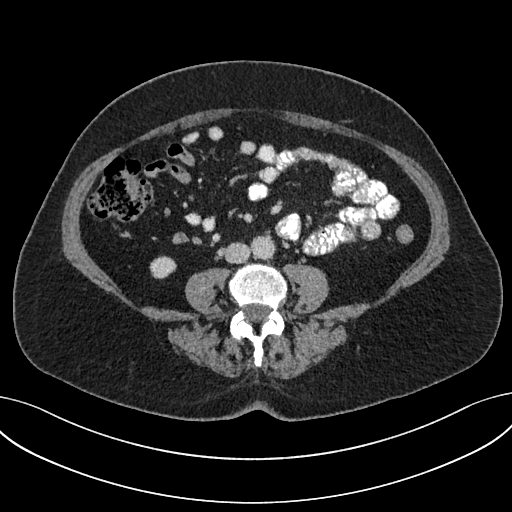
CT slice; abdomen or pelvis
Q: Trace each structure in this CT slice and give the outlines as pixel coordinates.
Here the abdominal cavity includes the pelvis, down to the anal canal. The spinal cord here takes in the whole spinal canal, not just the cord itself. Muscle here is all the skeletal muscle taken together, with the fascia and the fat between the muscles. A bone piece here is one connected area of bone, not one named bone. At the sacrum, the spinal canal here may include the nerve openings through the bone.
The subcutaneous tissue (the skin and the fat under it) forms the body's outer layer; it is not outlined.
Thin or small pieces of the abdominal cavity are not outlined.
A: {"abdominal_cavity":[[[236,112],[367,142],[417,187],[429,211],[429,237],[381,295],[317,311],[330,289],[323,270],[287,263],[284,276],[273,265],[250,262],[232,274],[226,267],[192,273],[184,295],[195,311],[182,311],[135,302],[90,256],[81,209],[112,160],[156,136]],[[288,283],[288,285],[289,286],[289,292],[290,293],[290,295],[292,299],[292,306],[290,310],[288,311],[283,311],[279,309],[280,308],[280,306],[282,302],[284,302],[287,299],[288,297],[288,291],[289,290],[289,287],[288,286]]],"torso":[[[225,60],[288,62],[347,76],[392,98],[427,132],[501,271],[499,327],[477,363],[411,394],[332,416],[285,421],[256,409],[231,419],[193,421],[110,402],[46,374],[28,361],[13,327],[15,269],[34,217],[71,146],[92,118],[127,90],[172,70]]],"bones":[{"outer":[[250,263],[275,267],[285,278],[288,287],[287,297],[278,309],[284,320],[284,329],[279,336],[268,334],[264,338],[264,353],[259,367],[254,364],[252,342],[246,337],[239,340],[234,338],[229,330],[231,317],[238,307],[229,293],[228,281],[238,268]],"hole":[[249,304],[259,304],[260,305],[267,306],[269,307],[271,309],[271,310],[266,316],[266,319],[264,321],[262,322],[257,322],[256,323],[252,323],[251,322],[249,322],[247,321],[245,319],[245,313],[243,310],[243,307],[245,305],[248,305]]}],"spinal_cord":[[[249,304],[259,304],[260,305],[267,306],[269,307],[271,309],[271,310],[266,316],[266,319],[264,321],[262,322],[257,322],[256,323],[252,323],[251,322],[249,322],[247,321],[245,319],[245,313],[243,310],[243,307],[245,305],[248,305]]],"muscle":[{"outer":[[229,107],[231,108],[258,107],[266,109],[281,109],[282,110],[288,110],[289,111],[295,111],[296,112],[310,114],[316,117],[319,117],[326,120],[329,120],[332,122],[344,125],[364,134],[366,134],[388,145],[390,145],[410,156],[423,167],[438,186],[447,209],[448,221],[450,227],[450,246],[443,261],[417,282],[393,296],[387,301],[361,315],[353,323],[348,336],[343,343],[339,346],[335,353],[314,368],[306,372],[304,372],[296,377],[292,378],[277,378],[276,377],[272,377],[255,370],[243,377],[230,378],[221,375],[211,374],[205,372],[189,364],[184,360],[176,357],[169,352],[163,345],[155,327],[155,325],[149,316],[130,308],[120,302],[111,294],[107,293],[103,289],[100,288],[86,277],[79,270],[74,267],[64,256],[62,251],[61,220],[62,219],[62,214],[63,213],[63,208],[65,204],[65,201],[75,179],[87,165],[98,157],[105,154],[112,149],[130,141],[132,139],[159,125],[172,121],[184,115],[194,113],[197,111],[202,111],[207,109],[215,109],[216,108],[228,108]],"hole":[[236,112],[367,142],[408,176],[430,217],[423,251],[368,302],[317,311],[324,271],[285,264],[292,306],[279,311],[282,333],[264,338],[259,367],[252,342],[229,330],[230,269],[187,278],[195,311],[144,305],[90,256],[80,230],[88,191],[119,154]]}]}